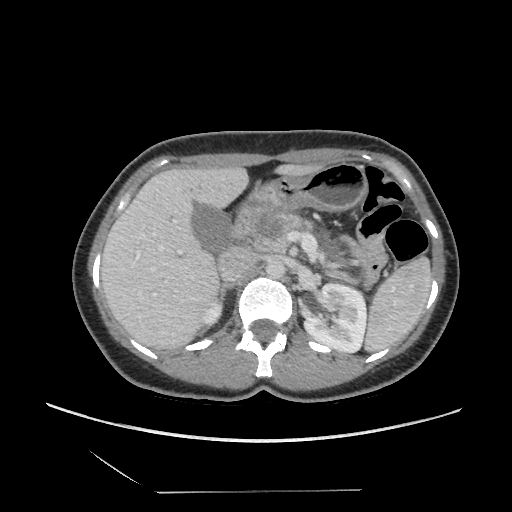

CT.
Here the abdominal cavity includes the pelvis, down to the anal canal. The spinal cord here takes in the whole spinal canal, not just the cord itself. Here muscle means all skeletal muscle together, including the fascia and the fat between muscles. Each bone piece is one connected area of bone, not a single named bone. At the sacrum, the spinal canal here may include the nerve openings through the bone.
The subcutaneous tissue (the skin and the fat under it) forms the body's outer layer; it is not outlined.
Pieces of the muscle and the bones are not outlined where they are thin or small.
{"muscle":[{"outer":[[318,147],[357,148],[358,149],[365,149],[371,151],[382,152],[388,154],[397,159],[408,169],[419,184],[426,197],[429,206],[441,229],[443,239],[444,240],[445,281],[442,288],[440,299],[433,312],[433,314],[419,339],[413,345],[409,347],[404,352],[385,361],[373,369],[364,373],[353,380],[330,387],[326,387],[316,390],[310,390],[309,391],[293,391],[279,387],[268,380],[259,379],[255,383],[244,389],[230,390],[229,389],[214,388],[206,385],[198,385],[193,383],[188,383],[179,379],[174,379],[166,375],[155,367],[146,363],[143,360],[129,351],[125,347],[120,345],[112,338],[108,332],[107,328],[103,323],[98,308],[91,294],[90,282],[89,281],[89,277],[87,271],[87,261],[88,260],[88,256],[92,245],[93,239],[98,229],[100,222],[104,216],[105,212],[123,184],[141,165],[157,156],[164,154],[171,154],[172,155],[194,155],[195,154],[201,154],[202,153],[246,152],[247,153],[262,153],[263,154],[274,155],[275,154],[285,152],[290,149],[306,149],[307,148],[317,148]],"holes":[[[362,154],[371,156],[370,161],[377,166],[382,167],[386,159],[401,168],[412,187],[403,188],[420,220],[423,223],[429,219],[438,234],[434,238],[425,228],[431,243],[436,298],[423,309],[409,332],[377,359],[365,362],[367,355],[312,349],[308,341],[314,340],[299,325],[293,303],[291,315],[282,325],[286,346],[271,357],[271,376],[258,377],[257,355],[235,349],[243,332],[237,302],[223,325],[208,337],[213,342],[207,347],[150,348],[158,357],[154,359],[130,342],[132,336],[112,314],[102,287],[93,285],[94,259],[102,253],[110,227],[122,212],[116,211],[121,197],[131,189],[130,201],[153,172],[169,164],[255,166],[272,160],[305,164],[336,158],[365,160]],[[163,158],[167,158],[168,159],[168,162],[167,162],[166,163],[165,163],[164,164],[163,164],[162,165],[161,165],[160,166],[155,166],[154,167],[152,167],[151,166],[152,165],[152,164],[155,161],[157,161],[158,160],[160,160],[161,159],[162,159]]]}],"bones":[{"outer":[[260,276],[281,282],[290,293],[292,300],[291,315],[282,325],[282,330],[287,338],[286,346],[282,351],[276,352],[271,357],[272,374],[270,377],[258,377],[255,375],[258,358],[254,352],[235,349],[243,332],[242,320],[238,310],[239,297],[245,285]],"hole":[[259,319],[268,319],[269,320],[271,320],[275,322],[277,324],[279,328],[279,329],[276,332],[273,339],[271,341],[267,343],[262,343],[258,340],[255,339],[255,335],[250,328],[250,326],[251,324],[255,320],[258,320]]},[[384,159],[390,160],[394,162],[400,168],[401,168],[401,169],[405,173],[406,176],[408,178],[411,184],[411,186],[412,187],[411,190],[408,190],[406,189],[406,188],[404,187],[404,186],[390,171],[389,171],[385,167],[381,165],[381,163]],[[99,252],[101,254],[101,255],[100,256],[100,265],[99,266],[99,282],[100,283],[100,286],[99,287],[99,288],[96,288],[93,285],[93,281],[92,280],[92,271],[93,270],[93,263],[94,262],[94,259],[95,258],[95,256],[96,255],[96,254]],[[205,338],[209,338],[213,340],[213,342],[211,343],[207,347],[205,348],[203,348],[202,349],[196,349],[195,350],[186,350],[185,349],[185,346],[189,344],[191,344],[194,342],[196,342],[197,341],[202,340]],[[131,337],[135,340],[136,340],[138,342],[139,342],[142,345],[145,346],[147,348],[148,348],[150,350],[154,352],[157,355],[158,357],[156,359],[154,359],[146,355],[144,353],[141,352],[139,350],[138,350],[130,342],[130,338]],[[432,278],[437,282],[437,287],[438,288],[438,291],[437,292],[437,295],[436,296],[435,300],[432,303],[430,307],[428,309],[427,309],[425,308],[425,306],[427,303],[427,301],[428,300],[428,297],[430,293],[430,290],[431,289],[431,284],[432,283]],[[129,189],[131,189],[131,196],[130,197],[130,198],[129,199],[129,200],[128,201],[127,204],[123,208],[123,209],[121,211],[120,211],[119,212],[117,212],[116,211],[116,207],[118,205],[118,204],[119,203],[119,201],[120,200],[121,197]],[[387,347],[389,347],[389,350],[384,355],[383,355],[381,357],[380,357],[377,359],[375,359],[372,361],[370,361],[369,362],[365,362],[365,359],[368,356],[369,356],[373,353],[375,353],[376,352],[377,352],[380,350],[382,350],[384,348],[386,348]],[[426,218],[429,219],[434,224],[434,225],[436,228],[436,230],[437,231],[437,233],[438,234],[438,237],[437,238],[434,238],[430,234],[430,233],[429,232],[428,229],[426,227],[426,226],[424,223],[424,219],[425,219]]],"torso":[[[297,129],[350,130],[373,135],[406,152],[422,170],[450,224],[459,259],[456,301],[433,349],[417,368],[389,385],[346,399],[306,403],[265,390],[229,402],[170,397],[125,379],[87,330],[72,288],[76,244],[97,202],[132,159],[162,140],[211,131]]],"spinal_cord":[[[259,319],[268,319],[269,320],[271,320],[275,322],[277,324],[279,328],[279,329],[276,332],[273,339],[271,341],[267,343],[262,343],[258,340],[255,339],[255,335],[250,328],[250,326],[251,324],[255,320],[258,320]]],"abdominal_cavity":[[[336,158],[367,160],[390,172],[429,236],[429,293],[417,321],[401,339],[369,355],[336,351],[301,328],[287,287],[260,275],[244,285],[219,329],[183,347],[150,348],[116,320],[100,282],[102,250],[110,227],[153,172],[172,163],[255,166]]]}